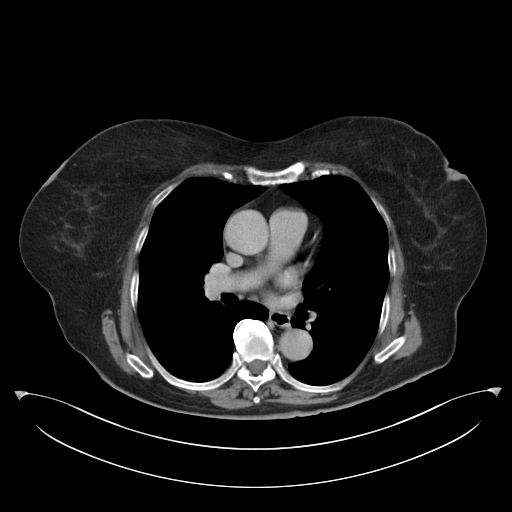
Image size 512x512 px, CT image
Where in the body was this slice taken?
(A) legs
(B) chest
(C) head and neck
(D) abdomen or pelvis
Answer: (B) chest
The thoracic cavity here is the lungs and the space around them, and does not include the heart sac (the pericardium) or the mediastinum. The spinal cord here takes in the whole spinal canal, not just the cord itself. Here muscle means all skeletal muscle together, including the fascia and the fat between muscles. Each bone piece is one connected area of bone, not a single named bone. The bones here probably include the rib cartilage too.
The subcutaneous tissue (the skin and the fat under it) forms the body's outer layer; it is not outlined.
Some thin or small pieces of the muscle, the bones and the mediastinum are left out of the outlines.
{"spinal_cord":[[[254,360],[261,360],[262,361],[263,361],[265,363],[265,367],[263,369],[263,370],[259,374],[252,374],[251,373],[251,372],[250,371],[250,370],[249,369],[249,368],[248,367],[248,364],[249,363],[250,363],[252,361],[253,361]]],"mediastinum":[[[223,230],[225,261],[243,290],[286,294],[302,282],[302,299],[295,308],[295,317],[291,319],[291,324],[309,329],[313,348],[305,359],[286,365],[275,349],[272,333],[263,321],[268,317],[268,311],[253,301],[240,300],[233,293],[221,262],[224,253]],[[278,184],[281,184],[279,185],[279,188],[282,191],[289,194],[303,204],[314,210],[320,216],[321,221],[295,199],[266,199],[265,200],[261,200],[249,203],[247,205],[239,207],[230,215],[234,209],[251,200],[258,195],[264,189],[263,186],[277,185]],[[322,222],[322,225],[323,226],[323,239],[321,244],[321,248],[318,255],[316,257],[316,259],[314,262],[314,265],[313,267],[306,274],[305,276],[306,273],[310,269],[312,264],[314,262],[315,257],[317,255],[318,247],[321,243],[321,240],[322,239]]],"muscle":[{"outer":[[300,160],[344,165],[376,192],[395,226],[404,263],[404,305],[408,308],[413,304],[412,308],[422,330],[421,345],[411,355],[392,361],[373,380],[325,403],[266,402],[228,409],[201,397],[172,394],[124,371],[109,351],[101,330],[101,314],[109,308],[114,312],[120,305],[119,291],[124,263],[134,232],[149,197],[162,183],[191,165],[211,162],[250,165],[243,169],[245,180],[238,180],[232,172],[222,170],[219,172],[222,177],[197,175],[188,177],[177,185],[170,183],[152,198],[150,207],[154,210],[149,225],[144,225],[136,238],[134,252],[139,254],[138,270],[130,277],[129,299],[132,309],[137,310],[147,344],[145,350],[152,366],[167,383],[188,390],[213,390],[234,376],[244,381],[255,393],[264,383],[277,376],[295,389],[311,393],[339,391],[349,383],[353,377],[350,374],[362,361],[376,335],[379,337],[383,333],[389,319],[391,298],[386,291],[389,276],[396,274],[395,250],[388,243],[390,218],[374,196],[369,196],[351,177],[339,174],[336,168],[315,168],[301,177],[306,171],[306,164]],"holes":[[[402,335],[404,335],[405,336],[405,341],[402,345],[402,346],[381,363],[375,363],[374,362],[374,359],[373,358],[374,357],[374,355],[376,353],[380,351],[383,348],[384,348],[392,340]],[[126,353],[131,353],[132,354],[133,354],[134,355],[135,355],[136,356],[137,356],[147,366],[148,366],[150,368],[151,368],[152,369],[152,370],[153,371],[153,376],[151,378],[144,378],[143,377],[142,377],[127,362],[127,361],[126,360]]]}],"thoracic_cavity":[[[197,176],[263,187],[229,214],[222,230],[220,262],[232,293],[240,301],[263,307],[267,317],[263,320],[246,317],[235,324],[232,331],[234,350],[229,365],[218,376],[204,381],[178,377],[162,365],[147,343],[137,309],[140,252],[154,211],[179,184]],[[331,174],[354,180],[382,217],[387,230],[389,275],[377,331],[365,355],[342,379],[317,385],[297,379],[284,364],[305,360],[314,348],[310,329],[294,326],[292,319],[303,299],[304,279],[321,251],[324,226],[314,209],[282,190],[280,185]]],"torso":[[[343,114],[393,117],[429,135],[480,196],[487,245],[481,269],[457,310],[457,341],[450,361],[355,405],[281,419],[180,413],[130,397],[101,379],[68,344],[50,296],[21,259],[21,219],[46,179],[94,134],[130,119],[186,120],[260,141],[283,138]]],"pericardium":[[[266,200],[295,200],[321,222],[321,239],[317,247],[316,255],[314,257],[313,262],[305,273],[302,281],[295,288],[286,293],[253,291],[243,289],[238,280],[232,274],[226,261],[226,253],[224,245],[224,228],[228,218],[239,208],[247,206],[249,204]]],"bones":[{"outer":[[246,318],[266,325],[275,351],[297,380],[323,386],[349,375],[352,377],[341,389],[330,392],[300,390],[278,375],[264,382],[256,392],[235,375],[209,390],[170,384],[153,366],[147,345],[172,375],[192,382],[209,381],[230,365],[235,350],[234,328]],"hole":[[254,360],[261,360],[262,361],[263,361],[265,363],[265,367],[263,369],[263,370],[259,374],[252,374],[251,373],[251,372],[250,371],[250,370],[249,369],[249,368],[248,367],[248,364],[249,363],[250,363],[252,361],[253,361]]},[[297,161],[303,161],[305,164],[305,171],[297,181],[289,182],[288,183],[278,183],[277,184],[261,185],[260,184],[252,184],[246,180],[246,176],[245,175],[245,171],[244,170],[246,166],[253,166],[260,170],[274,171],[275,170],[283,169]],[[402,335],[404,335],[405,336],[405,341],[402,345],[402,346],[381,363],[375,363],[374,362],[374,359],[373,358],[374,357],[374,355],[376,353],[380,351],[383,348],[384,348],[392,340]],[[126,353],[131,353],[132,354],[133,354],[134,355],[135,355],[136,356],[137,356],[147,366],[148,366],[150,368],[151,368],[152,369],[152,370],[153,371],[153,376],[151,378],[144,378],[143,377],[142,377],[127,362],[127,361],[126,360]],[[386,293],[387,293],[389,295],[389,297],[390,298],[390,305],[389,306],[389,314],[388,315],[388,319],[382,333],[379,336],[377,336],[378,326],[379,325],[379,320],[380,319],[380,315],[381,314],[381,310],[382,309],[382,304],[383,303],[383,300]],[[135,271],[138,271],[138,273],[139,274],[139,282],[138,283],[138,292],[137,293],[137,306],[136,307],[136,310],[134,310],[133,309],[133,308],[132,307],[132,305],[131,304],[131,300],[130,299],[130,282],[131,281],[131,277],[132,276],[133,273]],[[170,184],[175,184],[176,185],[176,186],[157,205],[157,206],[154,209],[153,209],[151,207],[151,202],[152,201],[152,200],[153,199],[153,198],[160,191],[161,191],[163,189],[164,189],[167,186],[168,186]],[[146,225],[148,225],[148,230],[147,231],[147,234],[146,235],[145,240],[143,243],[143,245],[142,246],[139,253],[136,253],[135,252],[135,246],[136,245],[136,242],[137,241],[137,238],[138,237],[138,235],[139,234],[140,231],[142,229],[142,228]],[[390,247],[391,247],[392,248],[393,248],[393,249],[394,250],[394,253],[395,254],[395,274],[393,276],[391,276],[389,274],[389,268],[388,267],[388,258],[387,257],[388,256],[388,249]],[[371,196],[374,197],[377,200],[377,201],[379,202],[382,205],[382,206],[386,211],[388,215],[388,217],[389,218],[389,228],[387,227],[384,221],[384,219],[383,217],[378,211],[377,208],[375,206],[372,200],[370,198]],[[319,168],[325,168],[326,169],[329,169],[330,170],[332,170],[333,169],[336,169],[338,171],[338,174],[332,174],[331,173],[330,174],[325,174],[324,175],[321,175],[318,177],[313,178],[311,177],[310,175],[310,173],[313,170],[315,169],[318,169]],[[222,171],[228,171],[229,172],[230,172],[231,173],[232,173],[232,174],[234,176],[234,177],[237,180],[235,182],[232,182],[231,181],[228,181],[227,180],[226,180],[225,179],[224,179],[223,178],[223,177],[220,174],[220,172],[221,172]]]}